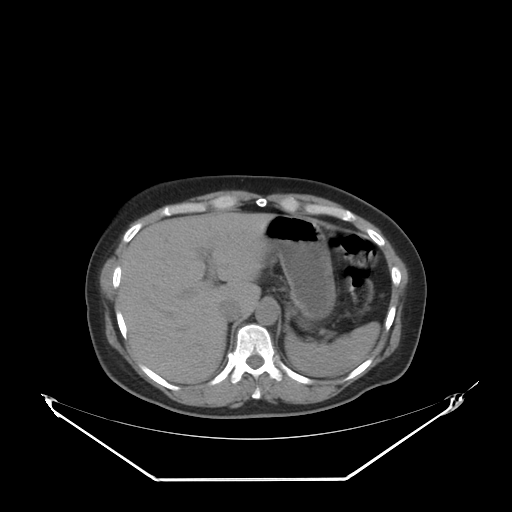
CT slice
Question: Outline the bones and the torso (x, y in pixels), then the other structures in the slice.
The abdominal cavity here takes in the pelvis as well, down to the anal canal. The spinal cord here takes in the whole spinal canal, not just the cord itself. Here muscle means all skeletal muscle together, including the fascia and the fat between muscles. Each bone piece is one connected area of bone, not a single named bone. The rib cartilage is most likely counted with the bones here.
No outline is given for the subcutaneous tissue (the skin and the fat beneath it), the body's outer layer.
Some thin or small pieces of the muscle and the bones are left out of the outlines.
Answer: The bones appear in 13 outlined pieces: piece 1: (250, 323) (264, 327) (281, 360) (293, 371) (312, 379) (312, 383) (301, 383) (282, 371) (279, 381) (270, 377) (267, 372) (256, 379) (245, 372) (236, 383) (231, 382) (229, 374) (218, 383) (210, 385) (208, 382) (224, 368) (228, 360) (227, 354) (235, 347) (238, 328); inner edge: (254, 354) (257, 354) (259, 356) (260, 356) (263, 359) (263, 363) (260, 366) (259, 366) (258, 367) (257, 367) (256, 368) (253, 368) (252, 367) (251, 367) (246, 362) (246, 360) (250, 356) (251, 356) (252, 355) (253, 355); piece 2: (228, 194) (234, 196) (237, 201) (234, 205) (227, 208) (216, 209) (210, 205) (208, 205) (206, 210) (204, 211) (190, 212) (189, 213) (176, 213) (172, 215) (162, 215) (161, 214) (161, 210) (166, 205) (172, 205) (183, 202) (204, 202) (205, 203) (208, 203) (214, 198); piece 3: (307, 203) (313, 203) (314, 204) (334, 206) (339, 208) (347, 209) (352, 212) (355, 215) (356, 218) (355, 220) (353, 221) (350, 221) (349, 220) (345, 221) (337, 217) (327, 215) (326, 214) (318, 214) (317, 213) (311, 214) (310, 213) (307, 213) (303, 208) (303, 206); piece 4: (140, 363) (145, 365) (148, 368) (152, 370) (155, 373) (159, 375) (162, 378) (163, 378) (171, 384) (173, 384) (174, 385) (177, 385) (179, 386) (180, 387) (180, 389) (178, 390) (172, 390) (156, 382) (154, 380) (150, 378) (140, 368) (139, 366) (139, 364); piece 5: (289, 196) (290, 196) (291, 197) (294, 198) (297, 201) (298, 201) (300, 204) (300, 207) (296, 211) (295, 211) (294, 212) (291, 212) (290, 211) (287, 211) (286, 210) (283, 209) (283, 208) (280, 205) (280, 201) (282, 199) (283, 199) (286, 197) (288, 197); piece 6: (368, 358) (372, 358) (372, 361) (370, 363) (370, 364) (363, 371) (362, 371) (360, 373) (359, 373) (357, 375) (356, 375) (354, 377) (353, 377) (350, 379) (348, 379) (347, 380) (343, 380) (343, 379) (352, 370) (353, 370) (356, 367) (357, 367); piece 7: (139, 222) (142, 223) (142, 226) (141, 227) (141, 228) (137, 232) (137, 233) (136, 233) (135, 234) (135, 235) (128, 242) (124, 242) (123, 241) (122, 238) (123, 237) (123, 235) (124, 234) (125, 231) (131, 226) (132, 226) (133, 225) (134, 225) (136, 223) (138, 223); piece 8: (367, 228) (370, 228) (371, 229) (372, 229) (373, 230) (374, 230) (376, 232) (377, 232) (379, 234) (380, 234) (382, 236) (382, 237) (384, 239) (384, 244) (382, 246) (379, 246) (376, 243) (375, 243) (369, 237) (369, 236) (367, 234) (367, 233) (366, 232) (366, 229); piece 9: (392, 305) (394, 305) (395, 306) (395, 315) (394, 316) (394, 318) (393, 319) (393, 321) (392, 322) (392, 324) (391, 326) (388, 330) (385, 330) (385, 328) (384, 327) (384, 322) (385, 321) (385, 319) (386, 318) (386, 316) (387, 315) (387, 312) (389, 309) (389, 307); piece 10: (117, 310) (119, 310) (121, 312) (121, 314) (123, 317) (123, 320) (125, 323) (125, 326) (126, 327) (126, 336) (127, 337) (126, 338) (126, 339) (125, 339) (122, 336) (122, 335) (120, 332) (120, 330) (118, 327) (118, 324) (117, 323) (117, 320) (116, 319) (116, 311); piece 11: (393, 266) (396, 266) (399, 269) (399, 270) (400, 271) (400, 273) (401, 274) (401, 278) (400, 279) (400, 281) (399, 282) (399, 284) (398, 285) (394, 285) (392, 283) (392, 280) (391, 279) (391, 274) (390, 273) (390, 269); piece 12: (116, 266) (120, 266) (120, 267) (121, 268) (121, 275) (120, 276) (120, 280) (119, 281) (119, 285) (116, 288) (114, 288) (114, 287) (113, 286) (113, 284) (112, 283) (112, 276) (113, 275) (113, 271) (114, 270) (114, 269) (115, 268) (115, 267); piece 13: (257, 386) (259, 388) (259, 389) (260, 390) (260, 394) (261, 395) (261, 396) (260, 397) (260, 398) (259, 399) (254, 399) (253, 398) (252, 398) (252, 397) (251, 396) (251, 395) (252, 394) (252, 393) (255, 390) (255, 388). The torso is outlined by (205, 174) (279, 175) (327, 182) (378, 207) (400, 226) (421, 258) (427, 296) (415, 353) (409, 367) (398, 379) (318, 412) (218, 419) (182, 414) (146, 401) (126, 391) (104, 373) (91, 343) (84, 297) (87, 264) (98, 237) (115, 210) (142, 188) (168, 179). The spinal cord is outlined by (254, 354) (257, 354) (259, 356) (260, 356) (263, 359) (263, 363) (260, 366) (259, 366) (258, 367) (257, 367) (256, 368) (253, 368) (252, 367) (251, 367) (246, 362) (246, 360) (250, 356) (251, 356) (252, 355) (253, 355). The abdominal cavity is outlined by (248, 202) (357, 229) (380, 247) (392, 284) (384, 328) (368, 357) (345, 376) (311, 378) (282, 360) (272, 338) (280, 307) (271, 297) (260, 301) (239, 323) (225, 365) (207, 381) (171, 383) (142, 363) (132, 350) (117, 288) (127, 244) (144, 226) (165, 216) (223, 210). The muscle appears in 3 outlined pieces: piece 1: (355, 214) (381, 230) (405, 263) (409, 281) (403, 304) (402, 335) (397, 348) (336, 395) (314, 403) (287, 405) (260, 399) (261, 390) (257, 385) (250, 395) (251, 399) (241, 407) (187, 405) (171, 399) (147, 382) (115, 349) (106, 344) (102, 327) (99, 276) (101, 268) (113, 254) (123, 233) (121, 239) (127, 245) (121, 265) (114, 267) (111, 276) (112, 286) (117, 289) (119, 304) (119, 309) (115, 311) (115, 319) (121, 336) (127, 340) (131, 350) (141, 362) (138, 364) (139, 368) (156, 383) (169, 390) (178, 391) (181, 389) (180, 386) (193, 386) (204, 382) (212, 386) (229, 375) (230, 382) (236, 384) (245, 373) (256, 380) (263, 373) (267, 373) (270, 378) (279, 382) (284, 372) (291, 379) (307, 385) (312, 384) (313, 379) (333, 380) (344, 377) (342, 380) (347, 381) (354, 378) (371, 364) (373, 358) (369, 357) (370, 354) (380, 341) (384, 329) (388, 331) (393, 324) (396, 306) (390, 305) (392, 286) (398, 286) (402, 278) (401, 271) (396, 265) (390, 268) (388, 265) (381, 248) (385, 244) (383, 236) (370, 227) (365, 229) (366, 233) (358, 229) (351, 223) (357, 218); piece 2: (221, 190) (244, 190) (264, 196) (273, 193) (310, 194) (336, 202) (343, 207) (307, 202) (302, 206) (303, 210) (306, 213) (300, 213) (297, 212) (301, 207) (300, 202) (290, 195) (282, 198) (279, 201) (279, 205) (282, 209) (272, 205) (267, 205) (268, 201) (263, 196) (257, 198) (254, 201) (254, 203) (248, 201) (239, 205) (235, 205) (238, 201) (237, 198) (234, 195) (228, 193) (214, 197) (208, 202) (204, 201) (179, 202) (184, 201) (191, 197); piece 3: (163, 206) (164, 206) (160, 210) (160, 214) (162, 216) (164, 216) (154, 221) (152, 221) (148, 223) (146, 225) (144, 225) (143, 227) (142, 227) (143, 226) (143, 223) (140, 221) (138, 222) (136, 222) (134, 224) (128, 227) (129, 224) (136, 219) (160, 207) (162, 207). The mediastinum appears in 2 outlined pieces: piece 1: (268, 298) (275, 300) (279, 307) (279, 319) (277, 322) (277, 327) (275, 330) (275, 333) (273, 334) (273, 337) (271, 336) (270, 332) (264, 326) (260, 324) (254, 322) (246, 323) (243, 325) (240, 324) (242, 321) (247, 319) (250, 316) (256, 308) (256, 306) (260, 302); piece 2: (315, 214) (317, 214) (318, 215) (326, 215) (327, 216) (334, 217) (345, 222) (349, 221) (350, 223) (354, 225) (356, 228) (355, 229) (353, 229) (348, 226) (342, 225) (339, 223) (337, 223) (334, 221) (331, 221) (328, 219) (321, 219) (316, 217) (314, 218) (313, 216).